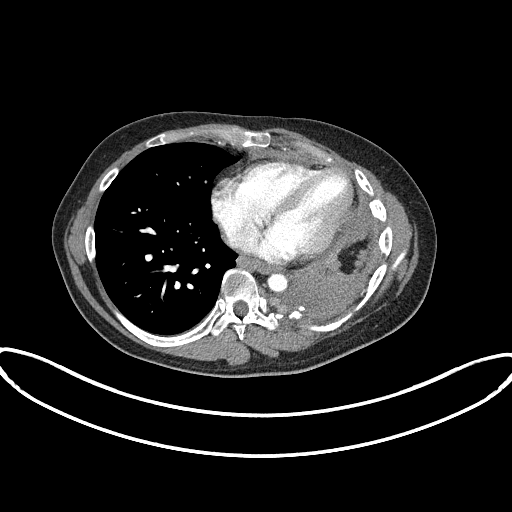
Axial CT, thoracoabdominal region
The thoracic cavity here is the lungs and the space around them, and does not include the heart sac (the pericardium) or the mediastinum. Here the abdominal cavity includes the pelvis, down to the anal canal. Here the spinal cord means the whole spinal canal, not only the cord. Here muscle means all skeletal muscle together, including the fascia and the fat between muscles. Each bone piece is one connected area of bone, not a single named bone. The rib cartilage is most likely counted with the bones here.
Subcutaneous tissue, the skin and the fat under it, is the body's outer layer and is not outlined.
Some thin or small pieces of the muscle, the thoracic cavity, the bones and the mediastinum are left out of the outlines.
{"mediastinum":[[[276,311],[281,311],[278,308],[279,298],[282,292],[286,289],[291,278],[295,274],[300,273],[301,271],[317,263],[331,251],[304,268],[292,269],[246,256],[233,250],[238,255],[236,267],[245,269],[254,276],[260,288],[261,294],[266,297],[269,304]],[[212,187],[231,172],[250,163],[255,159],[262,157],[289,157],[302,161],[320,163],[314,158],[286,146],[270,146],[264,149],[241,149],[231,143],[223,141],[198,141],[215,144],[230,153],[238,155],[240,157],[237,162],[224,168],[219,172],[213,180]],[[358,199],[357,184],[355,183],[355,180],[354,180],[353,178],[351,177],[351,175],[349,172],[348,172],[347,170],[345,169],[345,168],[342,168],[341,166],[325,165],[334,166],[344,171],[348,175],[348,176],[351,178],[351,179],[354,182]]],"pericardium":[[[292,268],[304,267],[323,256],[331,250],[334,243],[340,237],[350,230],[358,211],[358,200],[353,182],[344,172],[334,167],[322,164],[279,157],[268,157],[255,160],[231,173],[212,188],[210,196],[212,220],[218,227],[223,241],[232,249],[246,255]]],"muscle":[{"outer":[[232,366],[245,364],[261,354],[277,357],[280,351],[301,351],[322,339],[349,329],[386,307],[400,295],[419,256],[416,224],[409,221],[402,203],[370,170],[322,143],[282,127],[251,130],[267,130],[272,134],[270,145],[286,145],[316,159],[293,146],[297,140],[311,143],[332,156],[334,161],[329,164],[345,167],[354,179],[353,168],[361,169],[371,183],[375,196],[380,197],[386,207],[387,220],[383,223],[383,228],[389,224],[393,230],[390,254],[385,257],[382,253],[380,261],[388,263],[383,280],[369,300],[333,331],[309,331],[300,327],[301,323],[285,317],[279,320],[279,325],[273,331],[258,324],[248,325],[242,341],[232,324],[229,324],[216,337],[208,334],[182,346],[163,348],[145,343],[118,321],[111,311],[115,305],[100,281],[94,261],[90,263],[87,260],[84,232],[87,225],[94,222],[102,195],[98,185],[104,174],[115,165],[121,169],[145,149],[146,140],[123,152],[101,173],[83,204],[70,218],[64,233],[64,248],[78,290],[98,314],[118,331],[155,351],[194,360],[224,359]],"hole":[[393,268],[395,268],[397,266],[397,265],[402,260],[402,259],[405,256],[405,251],[403,251],[402,252],[401,252],[398,255],[398,256],[396,258],[396,259],[395,260],[395,261],[393,263],[393,264],[392,265],[392,267]]},[[338,316],[341,316],[343,314],[344,314],[346,312],[347,312],[349,310],[351,310],[352,309],[352,308],[358,302],[357,302],[353,306],[352,306],[351,307],[350,307],[347,310],[346,310],[344,312],[343,312],[341,314],[340,314],[340,315],[339,316]]],"spinal_cord":[[[240,317],[241,317],[242,316],[243,316],[244,315],[245,315],[247,313],[247,311],[248,310],[248,308],[247,307],[247,305],[246,304],[246,303],[243,301],[238,301],[237,302],[236,302],[234,305],[234,311],[235,312],[235,313],[238,316],[239,316]]],"thoracic_cavity":[[[160,335],[176,334],[199,322],[209,312],[220,294],[222,275],[227,269],[236,265],[237,255],[221,240],[217,227],[211,220],[209,196],[213,178],[239,157],[212,144],[179,142],[146,149],[120,171],[103,193],[96,213],[95,262],[108,295],[132,322]],[[306,324],[316,324],[330,320],[358,301],[364,294],[367,282],[379,263],[381,252],[379,250],[377,260],[370,275],[359,283],[345,282],[338,279],[328,266],[330,261],[330,254],[314,266],[301,272],[300,274],[295,275],[280,298],[279,308],[289,319]],[[347,233],[349,233],[355,229],[358,229],[365,226],[374,226],[376,228],[377,231],[379,232],[382,230],[382,222],[374,218],[371,215],[368,208],[367,204],[370,200],[370,197],[358,186],[358,192],[359,193],[359,211],[354,226],[351,230]]],"torso":[[[216,377],[255,377],[307,371],[383,338],[417,311],[429,287],[437,236],[425,197],[407,170],[391,154],[355,132],[321,120],[207,111],[164,112],[137,119],[111,132],[91,151],[62,197],[51,229],[55,259],[74,305],[86,322],[120,351],[171,369]]],"abdominal_cavity":[[[351,282],[359,282],[366,278],[369,275],[371,271],[371,268],[376,260],[379,249],[379,238],[378,237],[380,233],[377,232],[374,227],[361,228],[345,235],[340,238],[335,243],[332,249],[331,261],[329,266],[330,269],[338,278],[345,281],[350,281]]],"bones":[{"outer":[[163,347],[182,345],[208,333],[216,336],[229,323],[242,340],[248,324],[258,323],[273,330],[284,316],[274,311],[260,294],[250,273],[232,268],[223,275],[221,294],[210,312],[182,333],[152,334],[132,323],[116,307],[112,308],[129,331],[151,345]],"hole":[[240,317],[241,317],[242,316],[243,316],[244,315],[245,315],[247,313],[247,311],[248,310],[248,308],[247,307],[247,305],[246,304],[246,303],[243,301],[238,301],[237,302],[236,302],[234,305],[234,311],[235,312],[235,313],[238,316],[239,316]]},[[146,148],[171,142],[189,141],[187,140],[192,137],[206,138],[210,137],[235,142],[242,147],[252,146],[264,148],[270,144],[271,134],[267,131],[256,132],[250,130],[241,130],[233,127],[209,128],[181,132],[175,131],[162,132],[149,138],[145,144]],[[318,332],[327,332],[339,327],[368,300],[385,274],[387,268],[386,262],[383,262],[376,268],[368,282],[368,285],[365,290],[365,295],[351,311],[349,311],[341,317],[338,317],[326,323],[316,325],[305,324],[300,325],[302,327],[306,327],[309,330]],[[383,222],[386,220],[386,210],[381,199],[378,197],[375,197],[374,196],[374,191],[366,176],[363,173],[363,172],[358,168],[354,168],[353,172],[355,176],[355,179],[358,185],[365,192],[372,197],[371,200],[368,204],[372,215],[374,217]],[[324,164],[328,164],[333,161],[333,159],[331,157],[331,156],[326,152],[308,143],[305,143],[304,142],[301,142],[300,141],[297,141],[294,143],[294,146],[298,147],[302,149],[304,151],[310,153],[312,155],[315,156],[320,161],[321,163],[323,163]],[[90,262],[93,261],[94,260],[94,258],[95,257],[95,233],[94,232],[94,228],[93,227],[93,224],[92,223],[91,224],[88,225],[88,226],[86,229],[86,231],[85,232],[85,249],[86,250],[86,254],[87,255],[87,257],[88,258],[88,260]],[[385,256],[388,256],[388,255],[389,254],[389,252],[391,249],[391,244],[392,243],[392,230],[391,229],[391,227],[389,225],[386,225],[385,226],[385,227],[381,232],[381,233],[380,234],[380,236],[379,237],[380,238],[380,250],[385,255]],[[101,192],[103,192],[108,187],[108,186],[111,183],[111,182],[115,178],[115,177],[117,175],[117,174],[120,170],[120,169],[118,167],[115,166],[114,167],[111,168],[105,174],[105,175],[103,177],[102,180],[100,182],[100,184],[99,185],[99,190]],[[393,268],[395,268],[397,266],[397,265],[402,260],[402,259],[405,256],[405,251],[403,251],[402,252],[401,252],[398,255],[398,256],[396,258],[396,259],[395,260],[395,261],[393,263],[393,264],[392,265],[392,267]]]}